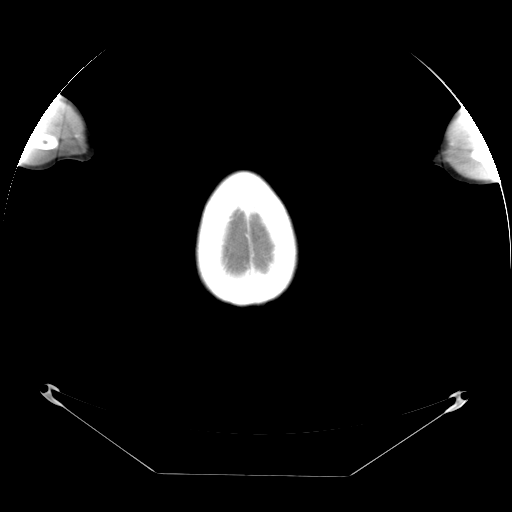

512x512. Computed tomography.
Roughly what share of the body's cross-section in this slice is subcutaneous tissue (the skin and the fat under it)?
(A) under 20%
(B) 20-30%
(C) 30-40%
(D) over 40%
Answer: (A) under 20%
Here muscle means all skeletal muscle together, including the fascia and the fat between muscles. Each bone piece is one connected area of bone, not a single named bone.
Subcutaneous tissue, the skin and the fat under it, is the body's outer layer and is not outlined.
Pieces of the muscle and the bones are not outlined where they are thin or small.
The right arm is outlined by 59 92; 64 97; 72 100; 83 113; 95 140; 94 155; 85 162; 80 162; 71 159; 61 160; 57 162; 54 166; 44 170; 29 170; 17 166; 22 151; 28 141; 27 139; 30 137; 31 133; 46 109; 53 102; 56 95. The head is outlined by 239 167; 255 169; 269 180; 273 188; 275 188; 275 191; 285 202; 293 218; 299 238; 300 265; 295 281; 289 291; 280 299; 261 308; 252 307; 248 309; 238 309; 218 303; 202 289; 194 267; 194 234; 202 206; 218 180; 228 171. The left arm is outlined by 462 105; 464 106; 465 110; 469 113; 473 124; 483 140; 485 141; 491 152; 491 155; 496 166; 500 180; 500 184; 494 183; 483 185; 472 185; 464 182; 460 182; 452 178; 440 167; 431 163; 430 157; 441 138; 447 121; 451 115. The bones appear in 3 outlined pieces: piece 1: 241 169; 251 170; 262 176; 271 185; 285 204; 291 217; 295 230; 298 247; 298 260; 294 276; 290 284; 280 295; 263 303; 240 306; 217 298; 206 288; 200 279; 196 268; 195 243; 201 212; 208 196; 215 186; 225 176; 236 170, around a hole outlined by 236 211; 243 214; 248 232; 251 229; 250 220; 252 216; 255 214; 258 216; 259 222; 264 228; 271 244; 271 258; 267 262; 265 269; 256 267; 251 258; 248 263; 249 267; 240 272; 231 271; 228 268; 224 252; 230 223; piece 2: 40 134; 49 134; 50 135; 54 135; 55 136; 56 136; 58 138; 58 145; 57 146; 57 147; 54 147; 53 148; 50 148; 49 149; 39 149; 38 148; 34 148; 33 147; 33 140; 34 140; 35 139; 35 136; 37 136; piece 3: 481 140; 483 140; 485 141; 486 144; 488 146; 491 152; 491 155; 493 159; 489 161; 483 161; 480 159; 476 159; 472 156; 471 154; 471 151; 472 149; 479 142; 479 141. The muscle appears in 2 outlined pieces: piece 1: 56 97; 74 110; 80 117; 84 128; 87 150; 85 153; 82 154; 61 155; 55 157; 46 163; 36 163; 35 164; 32 164; 21 157; 22 151; 28 141; 27 139; 30 137; 30 135; 35 128; 37 123; 40 120; 48 106; 53 102 with a hole at 40 134; 49 134; 50 135; 54 135; 55 136; 56 136; 58 138; 58 145; 57 146; 57 147; 54 147; 53 148; 50 148; 49 149; 39 149; 38 148; 34 148; 33 147; 33 140; 34 140; 35 139; 35 136; 37 136; piece 2: 465 110; 469 113; 473 124; 483 139; 479 140; 471 149; 470 151; 471 156; 474 159; 483 162; 489 162; 493 160; 498 175; 483 180; 470 179; 464 177; 447 163; 441 160; 442 152; 446 143; 448 128; 452 122. The brain is outlined by 236 211; 243 214; 248 232; 251 229; 250 220; 252 216; 255 214; 258 216; 259 222; 264 228; 271 244; 271 258; 267 262; 265 269; 256 267; 251 258; 248 263; 249 267; 240 272; 231 271; 228 268; 224 252; 230 223.